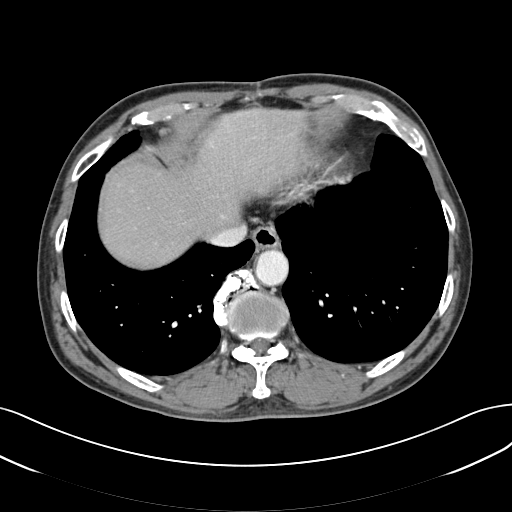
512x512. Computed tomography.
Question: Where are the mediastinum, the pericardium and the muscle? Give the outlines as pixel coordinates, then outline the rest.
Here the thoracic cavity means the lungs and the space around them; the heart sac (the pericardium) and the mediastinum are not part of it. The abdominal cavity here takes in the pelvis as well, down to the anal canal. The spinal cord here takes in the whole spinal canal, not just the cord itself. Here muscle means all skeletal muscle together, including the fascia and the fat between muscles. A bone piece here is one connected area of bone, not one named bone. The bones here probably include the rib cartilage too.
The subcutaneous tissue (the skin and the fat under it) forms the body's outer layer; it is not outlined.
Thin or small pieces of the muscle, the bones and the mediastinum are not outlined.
Answer: Outlines (x, y in pixels):
mediastinum 1: 262,206 277,211 291,207 274,221 275,228 281,239 282,251 287,257 289,264 288,275 281,288 283,299 264,290 256,281 251,271 247,268 242,268 251,257 255,248 254,243 250,239 242,240 247,237 252,214
mediastinum 2: 358,115 385,124 393,134 381,133 377,136 374,145 373,155 370,162 370,168 367,171 362,172 353,177 354,174 353,173 365,162 365,156 368,150 367,146 368,139 364,131 357,127 351,127 351,125
pericardium: 343,128 360,129 367,139 367,150 364,156 364,162 352,173 352,178 349,182 334,184 320,189 312,195 311,203 300,202 281,210 264,206 255,198 253,190 258,178 276,166 291,146 300,138 307,133 318,130
muscle: 310,83 337,84 382,96 419,126 430,145 457,210 457,260 461,268 454,316 432,353 402,377 345,405 302,409 267,398 271,389 266,373 272,363 288,357 290,351 282,334 290,325 296,344 301,342 327,360 342,364 376,362 364,372 372,379 405,357 406,347 432,316 444,314 454,293 448,250 456,220 447,201 438,197 423,160 428,156 424,138 383,101 340,92 313,96 311,102 246,95 245,101 232,99 214,108 185,101 144,109 130,117 128,132 117,139 109,134 87,150 70,175 69,180 77,185 70,215 55,231 54,250 62,253 66,289 59,292 59,306 71,331 76,334 83,330 116,363 114,369 123,379 154,393 164,385 149,376 184,372 218,348 218,353 224,354 229,340 222,336 223,327 236,342 231,356 255,370 254,399 221,414 183,412 126,394 72,363 58,343 52,321 49,231 67,173 84,146 129,108 169,93
thoracic cavity 1: 381,134 394,134 422,158 439,199 448,232 447,272 433,314 405,347 377,361 342,363 310,350 290,324 289,308 282,293 290,264 275,221 292,207 303,203 313,205 319,191 349,183 355,176 367,172
thoracic cavity 2: 133,130 141,134 139,145 105,172 97,198 97,235 114,260 145,272 171,264 200,243 231,247 248,239 254,246 213,296 212,315 221,328 217,349 171,375 147,376 108,357 78,322 66,286 63,249 78,181
bones 1: 240,268 249,270 264,291 284,300 290,317 289,325 281,334 282,342 289,353 267,368 265,384 270,389 270,394 262,399 252,395 256,384 255,368 232,356 236,339 225,327 216,323 213,315 216,292 226,276; inner edge: 259,337 260,338 264,338 265,339 267,339 269,340 269,341 271,343 270,346 266,350 265,353 264,354 261,354 260,355 258,355 256,353 256,352 251,347 249,346 249,344 251,341
bones 2: 340,93 359,94 369,99 375,99 383,102 401,120 410,126 414,127 419,132 424,140 427,156 421,156 396,135 385,123 381,121 373,120 366,116 353,113 344,107 334,103 333,101 312,101 313,97
bones 3: 185,102 196,103 197,107 193,109 190,109 184,112 174,113 171,119 165,121 158,121 152,125 146,126 135,124 132,126 131,130 128,129 128,127 130,125 131,117 141,111 151,110 157,107 168,104 184,103
bones 4: 109,135 112,135 116,140 106,150 106,151 99,158 99,159 98,159 97,161 96,161 90,167 89,167 82,174 77,181 75,182 72,182 70,180 71,178 71,175 79,159 87,151 90,150 100,142 106,139
bones 5: 117,364 131,371 133,371 136,373 144,375 148,377 153,381 157,383 162,384 163,385 163,387 161,389 154,392 150,392 145,389 143,389 140,387 138,387 123,378 117,372 117,371 115,369 115,366
bones 6: 404,348 406,348 406,352 404,355 404,357 395,366 394,366 386,372 385,372 380,375 378,375 375,377 373,377 372,378 368,378 365,375 365,372 367,370 370,369 378,361 379,361 380,360 381,360
bones 7: 61,290 66,290 66,292 69,299 69,302 70,303 73,314 77,322 82,329 82,330 78,330 76,332 76,333 74,333 72,331 72,330 68,325 64,317 64,315 62,313 61,307 60,306 60,292
bones 8: 449,272 450,272 453,276 453,293 452,294 452,296 451,297 451,299 448,306 446,308 443,314 439,317 437,315 433,315 440,301 440,298 442,294 442,291 443,290 443,287 445,283 446,276 447,275 447,273
bones 9: 64,218 68,218 68,223 67,224 67,229 66,230 66,233 65,234 65,239 64,240 64,243 63,244 63,248 62,249 62,252 61,252 60,253 57,253 55,250 55,235 56,234 56,231 57,230 61,221
bones 10: 441,198 443,198 449,205 452,211 452,213 453,214 453,216 455,220 455,228 454,229 454,232 452,234 449,233 448,229 447,228 447,225 446,224 445,217 444,216 443,210 442,209 442,206 440,202 440,199
torso: 301,72 350,75 379,83 405,99 428,128 464,205 473,247 467,304 443,355 419,381 392,397 317,417 234,422 183,419 128,405 78,381 49,348 36,286 43,217 75,142 109,106 147,87 185,81 256,81
abdominal cavity: 268,96 333,102 357,115 350,127 307,132 257,178 252,193 261,206 251,214 246,237 235,245 200,242 171,263 145,271 114,259 97,231 100,188 106,172 140,145 141,132 196,108 214,109 232,100 247,102
spinal cord: 259,337 260,338 264,338 265,339 267,339 269,340 269,341 271,343 270,346 266,350 265,353 264,354 261,354 260,355 258,355 256,353 256,352 251,347 249,346 249,344 251,341